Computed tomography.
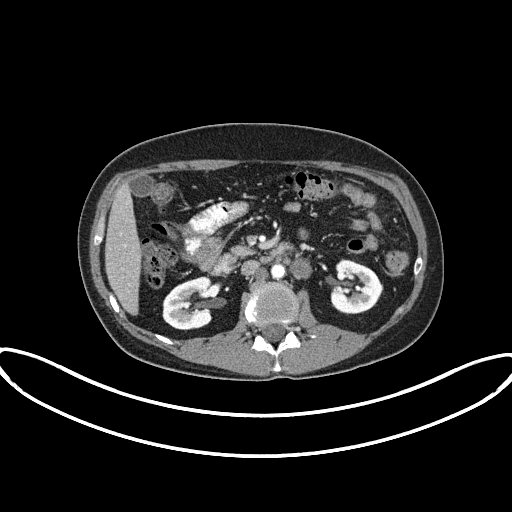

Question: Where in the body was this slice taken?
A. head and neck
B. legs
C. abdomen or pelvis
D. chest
Answer: C. abdomen or pelvis
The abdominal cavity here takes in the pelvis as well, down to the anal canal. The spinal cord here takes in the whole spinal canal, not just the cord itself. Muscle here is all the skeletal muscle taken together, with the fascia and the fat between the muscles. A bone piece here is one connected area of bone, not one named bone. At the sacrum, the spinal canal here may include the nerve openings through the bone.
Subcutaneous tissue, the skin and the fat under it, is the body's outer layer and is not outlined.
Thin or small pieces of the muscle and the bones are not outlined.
{"muscle":[[[249,375],[268,375],[275,372],[271,370],[274,358],[270,354],[250,348],[256,331],[244,317],[243,310],[249,296],[246,292],[241,295],[238,321],[232,329],[205,337],[171,339],[174,341],[172,345],[165,344],[153,332],[131,322],[121,310],[119,313],[113,311],[108,299],[110,291],[100,269],[100,245],[94,246],[92,237],[99,218],[103,214],[105,218],[117,188],[136,176],[150,172],[209,170],[249,162],[280,163],[312,165],[361,175],[387,189],[400,202],[416,236],[417,255],[423,259],[423,267],[418,276],[414,277],[412,291],[400,306],[402,311],[396,316],[392,314],[383,324],[369,332],[345,330],[320,323],[311,312],[307,291],[300,290],[296,294],[300,304],[299,314],[293,324],[300,328],[295,332],[301,345],[298,348],[286,349],[279,355],[281,371],[297,374],[325,367],[359,352],[397,323],[411,309],[419,294],[427,262],[426,232],[407,185],[396,174],[334,160],[193,159],[156,162],[124,170],[114,174],[106,183],[96,203],[89,234],[88,255],[93,283],[114,319],[135,338],[179,358]]],"spinal_cord":[[[271,342],[276,342],[277,341],[279,341],[280,340],[281,340],[283,338],[283,337],[284,336],[284,334],[285,333],[285,328],[281,324],[268,324],[267,325],[266,325],[262,329],[262,334],[263,335],[263,336],[268,341],[270,341]]],"bones":[{"outer":[[276,372],[281,370],[278,361],[279,353],[286,348],[300,345],[294,332],[299,328],[292,324],[297,317],[299,304],[291,289],[281,283],[267,282],[252,291],[244,313],[247,321],[252,323],[257,331],[251,348],[265,350],[270,353],[275,358],[272,370]],"hole":[[271,342],[276,342],[277,341],[279,341],[280,340],[281,340],[283,338],[283,337],[284,336],[284,334],[285,333],[285,328],[281,324],[268,324],[267,325],[266,325],[262,329],[262,334],[263,335],[263,336],[268,341],[270,341]]},[[96,246],[99,245],[102,240],[102,236],[103,235],[103,226],[104,225],[104,216],[103,215],[100,218],[100,220],[99,221],[99,222],[98,223],[98,225],[97,226],[97,230],[96,231],[96,232],[93,237],[93,244]]],"abdominal_cavity":[[[177,339],[232,328],[241,293],[249,294],[267,281],[281,282],[295,293],[305,288],[320,322],[362,332],[374,329],[405,300],[413,283],[416,240],[399,202],[361,176],[312,166],[249,163],[150,173],[122,184],[106,213],[100,255],[104,279],[131,321]]],"torso":[[[239,381],[305,379],[349,371],[405,350],[430,325],[444,282],[444,253],[439,223],[419,182],[399,161],[380,148],[348,134],[297,124],[208,124],[134,144],[110,160],[95,178],[79,217],[77,255],[86,295],[106,332],[124,352],[145,363],[189,375]]]}